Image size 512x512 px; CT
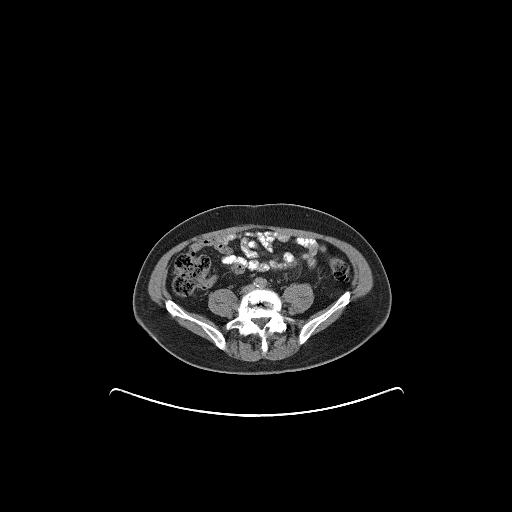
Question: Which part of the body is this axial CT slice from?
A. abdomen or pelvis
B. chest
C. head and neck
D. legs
Answer: A. abdomen or pelvis
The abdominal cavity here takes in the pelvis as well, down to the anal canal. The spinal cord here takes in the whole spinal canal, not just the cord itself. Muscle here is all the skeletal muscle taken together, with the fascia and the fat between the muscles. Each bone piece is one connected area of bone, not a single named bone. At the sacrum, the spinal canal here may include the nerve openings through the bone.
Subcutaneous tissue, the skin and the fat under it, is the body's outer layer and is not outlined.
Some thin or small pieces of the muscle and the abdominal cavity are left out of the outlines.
{"spinal_cord":[[[267,317],[270,317],[271,318],[268,321],[267,321],[264,324],[264,325],[263,326],[263,327],[262,328],[260,328],[255,323],[254,323],[254,322],[253,321],[252,321],[251,320],[251,319],[252,318],[266,318]]],"torso":[[[274,203],[297,204],[331,214],[349,224],[369,242],[381,260],[391,289],[391,309],[384,325],[373,337],[340,358],[312,368],[283,373],[258,375],[221,373],[192,366],[168,353],[137,323],[132,306],[139,271],[154,244],[180,222],[208,209],[229,204]]],"abdominal_cavity":[[[249,229],[319,239],[337,247],[353,268],[349,288],[305,318],[292,317],[314,302],[308,282],[290,283],[281,296],[266,287],[253,288],[240,299],[231,289],[215,289],[207,296],[207,308],[228,319],[221,324],[184,309],[166,287],[170,259],[192,242]]],"bones":[{"outer":[[256,288],[266,288],[276,292],[282,304],[280,312],[295,319],[294,322],[286,322],[287,326],[283,332],[273,332],[267,335],[267,351],[264,354],[261,350],[261,340],[257,334],[242,335],[236,328],[226,328],[226,323],[238,314],[237,309],[241,297]],"hole":[[267,317],[270,317],[271,318],[268,321],[267,321],[264,324],[264,325],[263,326],[263,327],[262,328],[260,328],[255,323],[254,323],[254,322],[253,321],[252,321],[251,320],[251,319],[252,318],[266,318]]},[[166,299],[171,299],[181,307],[184,311],[190,316],[217,328],[222,333],[225,338],[226,350],[225,351],[223,351],[219,349],[203,329],[195,322],[193,322],[184,318],[181,318],[178,316],[173,316],[170,314],[166,310],[164,305],[164,301]],[[346,290],[349,290],[350,291],[350,301],[349,303],[348,303],[344,307],[340,309],[338,309],[333,312],[324,321],[320,323],[316,327],[311,335],[303,344],[301,345],[299,344],[298,343],[298,335],[301,327],[309,320],[322,314],[329,309],[336,300]]],"muscle":[[[243,224],[302,229],[345,241],[355,247],[366,259],[372,272],[373,286],[364,297],[350,303],[351,291],[349,289],[355,273],[352,263],[341,249],[319,238],[291,236],[265,228],[249,228],[192,241],[176,252],[167,263],[165,287],[170,298],[166,298],[163,301],[163,305],[165,310],[173,317],[178,317],[198,325],[213,342],[214,346],[206,339],[178,324],[156,305],[148,294],[148,282],[161,256],[178,243],[202,233]],[[332,303],[329,308],[300,327],[297,343],[303,345],[317,327],[336,311],[349,304],[339,318],[312,336],[296,353],[279,360],[262,358],[256,361],[244,361],[230,357],[224,352],[227,350],[227,343],[223,333],[217,327],[185,311],[200,314],[218,325],[225,324],[227,330],[236,329],[242,336],[257,335],[260,340],[261,353],[264,355],[268,351],[268,335],[281,334],[287,329],[287,322],[294,323],[295,318],[305,319]],[[293,283],[308,283],[312,288],[314,294],[314,299],[312,304],[306,310],[301,313],[295,314],[293,316],[289,316],[283,314],[281,312],[283,307],[282,306],[283,304],[282,303],[282,299],[281,297],[284,294],[284,291],[286,288],[287,288],[290,284]],[[218,289],[227,289],[228,290],[231,290],[233,292],[234,292],[234,293],[239,299],[238,306],[236,309],[237,314],[233,318],[229,320],[228,318],[226,318],[223,316],[220,316],[212,312],[208,308],[208,296],[209,294],[211,292],[215,290],[217,290]]]}